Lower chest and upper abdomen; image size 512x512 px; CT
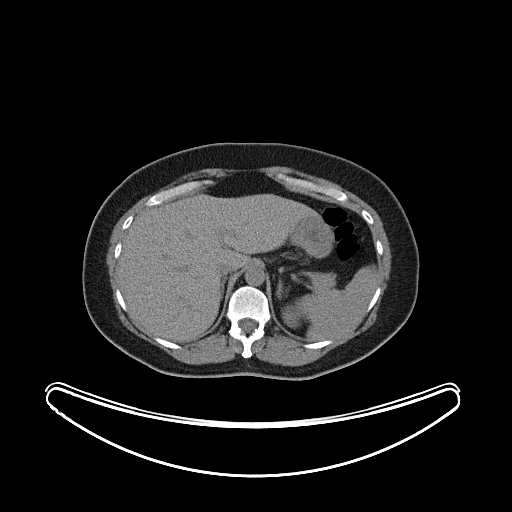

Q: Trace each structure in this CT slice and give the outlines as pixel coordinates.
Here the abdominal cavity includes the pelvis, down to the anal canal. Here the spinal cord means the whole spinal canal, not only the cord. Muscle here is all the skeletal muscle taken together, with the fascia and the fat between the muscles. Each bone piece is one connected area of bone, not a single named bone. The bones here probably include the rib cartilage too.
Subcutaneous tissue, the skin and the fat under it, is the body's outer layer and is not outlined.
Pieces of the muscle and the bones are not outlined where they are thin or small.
A: The muscle is outlined by (268, 166) (291, 167) (330, 180) (355, 194) (376, 211) (389, 243) (391, 268) (374, 323) (318, 359) (303, 365) (274, 364) (251, 357) (253, 342) (265, 335) (265, 326) (271, 319) (282, 334) (303, 343) (301, 345) (306, 349) (323, 348) (333, 342) (332, 338) (349, 330) (366, 312) (370, 311) (382, 291) (378, 286) (377, 255) (381, 256) (384, 249) (379, 239) (375, 241) (373, 239) (369, 225) (374, 223) (372, 215) (364, 208) (358, 213) (346, 206) (344, 203) (349, 198) (342, 190) (282, 172) (275, 174) (275, 178) (282, 183) (261, 171) (240, 171) (218, 178) (215, 182) (209, 179) (184, 181) (152, 194) (144, 203) (147, 207) (134, 217) (133, 214) (128, 215) (122, 222) (121, 228) (125, 233) (122, 241) (115, 244) (113, 257) (117, 259) (119, 288) (114, 290) (117, 302) (142, 328) (154, 336) (153, 339) (157, 343) (170, 349) (181, 349) (182, 346) (179, 344) (187, 344) (215, 332) (225, 317) (229, 321) (227, 333) (242, 344) (241, 357) (217, 363) (188, 364) (177, 360) (128, 330) (117, 315) (106, 263) (110, 236) (120, 217) (142, 197) (186, 173) (214, 167) (237, 169). The bones appear in 9 outlined pieces: piece 1: (246, 285) (255, 287) (262, 291) (267, 298) (270, 313) (270, 319) (264, 326) (264, 335) (261, 338) (252, 342) (250, 347) (252, 355) (248, 358) (242, 357) (241, 354) (243, 350) (242, 342) (230, 336) (228, 333) (230, 321) (226, 317) (228, 303) (232, 293) (237, 288) with a hole at (245, 318) (249, 318) (250, 319) (252, 319) (253, 320) (254, 320) (257, 323) (257, 326) (251, 332) (250, 332) (249, 333) (247, 333) (246, 332) (245, 332) (239, 326) (239, 321) (240, 320) (241, 320) (242, 319) (244, 319); piece 2: (277, 173) (282, 173) (289, 176) (292, 176) (301, 179) (305, 179) (319, 185) (334, 187) (342, 191) (347, 196) (348, 199) (345, 202) (342, 203) (327, 195) (319, 192) (301, 191) (297, 189) (294, 189) (285, 185) (284, 182) (281, 179) (277, 179) (276, 178) (276, 174); piece 3: (194, 180) (209, 180) (211, 181) (211, 183) (202, 185) (197, 189) (189, 193) (185, 193) (184, 194) (177, 195) (175, 197) (168, 199) (157, 205) (153, 205) (152, 206) (146, 206) (145, 205) (146, 201) (152, 195) (160, 191) (181, 184) (184, 182) (193, 181); piece 4: (329, 339) (331, 339) (332, 342) (331, 343) (330, 343) (329, 344) (328, 344) (327, 345) (326, 345) (323, 347) (321, 347) (320, 348) (306, 348) (305, 347) (304, 347) (302, 345) (304, 343) (313, 343) (314, 342) (318, 342) (319, 341) (322, 341) (323, 340) (328, 340); piece 5: (155, 336) (156, 337) (161, 338) (164, 340) (167, 340) (170, 342) (173, 342) (174, 343) (176, 343) (177, 344) (180, 345) (181, 346) (181, 348) (170, 348) (169, 347) (167, 347) (166, 346) (165, 346) (164, 345) (163, 345) (162, 344) (157, 342) (154, 339) (154, 337); piece 6: (377, 287) (380, 287) (380, 288) (381, 289) (381, 291) (380, 292) (375, 303) (372, 306) (372, 307) (369, 310) (369, 311) (368, 311) (367, 312) (366, 311) (366, 309) (367, 308) (367, 307) (370, 302) (370, 300) (372, 298) (372, 297) (374, 294) (374, 292); piece 7: (116, 289) (119, 289) (120, 290) (120, 292) (121, 293) (121, 294) (123, 297) (123, 299) (124, 300) (124, 301) (125, 302) (125, 304) (127, 307) (127, 310) (126, 311) (125, 311) (122, 308) (122, 307) (118, 302) (118, 300) (117, 299) (117, 298) (115, 295) (115, 290); piece 8: (363, 209) (364, 209) (365, 210) (366, 210) (371, 215) (371, 216) (372, 217) (372, 218) (373, 219) (373, 223) (372, 224) (368, 224) (366, 222) (366, 221) (362, 217) (362, 216) (361, 215) (361, 211); piece 9: (130, 215) (133, 215) (133, 219) (132, 220) (132, 221) (131, 222) (131, 223) (130, 224) (130, 225) (126, 229) (123, 229) (122, 228) (122, 224) (123, 223) (123, 222) (125, 220) (125, 219) (128, 216) (129, 216). The torso is outlined by (215, 142) (281, 142) (323, 150) (362, 165) (389, 186) (412, 227) (420, 265) (413, 310) (385, 343) (355, 363) (310, 379) (288, 380) (252, 375) (192, 378) (152, 369) (124, 353) (100, 333) (87, 313) (81, 280) (86, 238) (100, 205) (126, 176) (139, 167) (179, 150). The abdominal cavity is outlined by (240, 172) (261, 172) (294, 190) (327, 196) (360, 214) (369, 226) (377, 286) (365, 312) (349, 329) (313, 342) (282, 333) (271, 318) (266, 268) (258, 261) (238, 273) (223, 321) (204, 337) (170, 341) (150, 333) (130, 313) (120, 289) (118, 259) (134, 218) (148, 207). The mediastinum is outlined by (251, 262) (258, 262) (260, 263) (264, 268) (265, 268) (265, 275) (267, 280) (266, 295) (265, 295) (263, 291) (259, 288) (252, 285) (247, 285) (246, 284) (245, 285) (241, 285) (237, 287) (232, 292) (231, 292) (232, 285) (235, 281) (237, 276) (239, 273). The spinal cord is outlined by (245, 318) (249, 318) (250, 319) (252, 319) (253, 320) (254, 320) (257, 323) (257, 326) (251, 332) (250, 332) (249, 333) (247, 333) (246, 332) (245, 332) (239, 326) (239, 321) (240, 320) (241, 320) (242, 319) (244, 319).